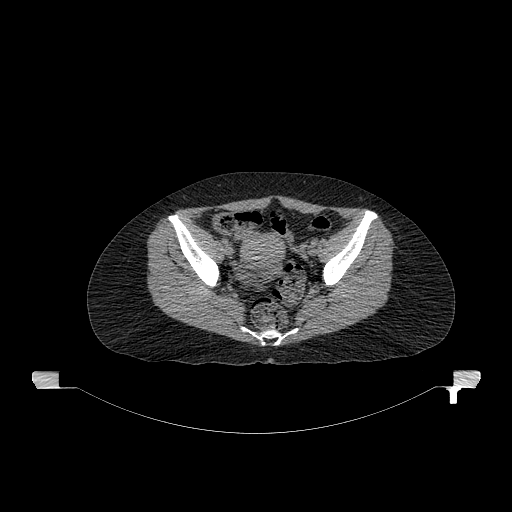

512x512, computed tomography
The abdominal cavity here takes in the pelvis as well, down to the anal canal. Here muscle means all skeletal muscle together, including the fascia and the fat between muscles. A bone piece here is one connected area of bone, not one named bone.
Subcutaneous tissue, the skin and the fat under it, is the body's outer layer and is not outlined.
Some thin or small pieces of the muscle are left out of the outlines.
The abdominal cavity is outlined by 274 199; 304 214; 327 210; 348 220; 343 227; 319 240; 318 261; 324 263; 322 279; 315 293; 303 302; 283 331; 275 327; 258 330; 248 323; 244 304; 227 291; 220 275; 218 264; 224 257; 222 242; 195 220; 209 210; 263 209. The torso is outlined by 236 171; 301 172; 338 178; 381 197; 410 218; 436 248; 452 279; 455 313; 446 336; 433 347; 406 357; 370 362; 289 365; 145 361; 114 352; 104 346; 90 325; 86 292; 91 272; 106 245; 128 221; 166 195; 198 180. The muscle appears in 2 outlined pieces: piece 1: 271 194; 320 205; 373 208; 363 210; 350 238; 325 262; 319 261; 320 240; 343 228; 349 220; 333 210; 304 213; 282 205; 275 198; 263 208; 206 210; 194 220; 221 242; 220 263; 197 243; 177 212; 166 216; 196 275; 211 288; 220 276; 226 291; 243 304; 247 323; 257 330; 245 325; 239 329; 261 346; 186 325; 164 314; 153 303; 146 281; 146 241; 159 218; 177 208; 218 205; piece 2: 378 213; 391 232; 394 242; 391 287; 386 304; 378 309; 376 313; 346 328; 278 346; 287 336; 299 331; 298 326; 285 331; 285 328; 304 302; 316 293; 320 282; 322 280; 326 286; 333 286; 343 277; 360 253; 371 223; 378 218. The bones appear in 3 outlined pieces: piece 1: 173 213; 177 213; 180 220; 189 230; 196 243; 216 262; 219 268; 219 272; 220 274; 215 286; 211 287; 204 283; 204 282; 197 275; 189 262; 184 256; 180 248; 180 245; 177 239; 175 230; 171 222; 168 220; 167 218; 168 215; piece 2: 365 209; 370 209; 375 211; 378 215; 377 218; 374 219; 370 223; 364 240; 364 243; 359 253; 346 270; 342 277; 333 285; 326 285; 322 278; 322 270; 325 263; 331 257; 339 252; 351 238; 355 228; 359 224; 364 214; 364 210; piece 3: 240 326; 245 326; 254 331; 261 331; 268 328; 275 328; 281 332; 285 332; 294 327; 298 327; 299 329; 296 333; 287 335; 277 346; 271 345; 272 342; 269 340; 267 342; 267 345; 262 346; 258 339; 248 332; 242 331; 240 329.